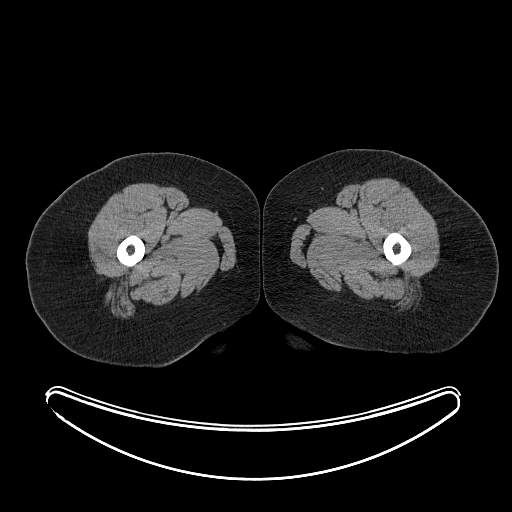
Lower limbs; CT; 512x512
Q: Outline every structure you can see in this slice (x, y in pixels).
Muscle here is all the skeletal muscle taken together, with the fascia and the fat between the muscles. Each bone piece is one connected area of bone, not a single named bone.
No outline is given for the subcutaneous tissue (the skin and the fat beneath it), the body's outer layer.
A: Outlines:
right leg 1: 147,151 188,154 230,171 253,191 261,213 262,285 255,307 225,331 212,335 173,363 156,369 101,363 81,357 64,347 52,336 36,314 29,296 25,269 25,253 34,224 45,208 62,191 82,176 118,157
right leg 2: 229,337 232,338 233,340 232,341 232,343 227,349 227,350 222,354 218,355 217,356 214,356 213,357 207,357 206,356 204,356 202,354 202,353 207,348 208,348 217,341 219,341 222,339 225,339
left leg 1: 345,148 388,149 420,161 465,199 485,222 497,250 499,264 497,287 493,300 479,323 455,347 434,354 403,354 348,349 328,343 290,325 269,307 263,290 262,241 262,212 267,194 283,176 296,167 329,152
left leg 2: 282,330 287,330 288,331 291,331 305,338 307,340 313,343 319,349 319,351 317,352 302,352 301,351 296,351 295,350 293,350 291,349 289,347 288,347 282,341 282,339 281,338 281,331
bones 1: 390,232 398,232 400,233 409,242 411,246 411,253 410,255 405,261 404,261 399,265 394,265 392,264 392,263 385,257 384,255 384,253 383,252 383,241 386,237 386,236
bones 2: 132,234 138,236 143,241 144,243 144,246 145,247 145,252 144,253 143,257 138,262 137,262 132,266 127,266 121,263 119,261 119,260 117,258 116,250 117,249 117,247 119,243 127,236 131,235
muscle 1: 139,182 178,185 208,200 218,211 233,236 236,248 236,262 235,265 225,276 197,297 194,297 193,299 163,310 154,315 117,322 104,306 100,286 94,274 89,258 87,232 96,214 113,193 120,191 129,184, around a hole outlined by 132,234 138,236 143,241 144,243 144,246 145,247 145,252 144,253 143,257 138,262 137,262 132,266 127,266 121,263 119,261 119,260 117,258 116,250 117,249 117,247 119,243 127,236 131,235
muscle 2: 375,177 397,178 408,183 426,205 427,210 436,222 440,244 439,261 421,279 423,289 422,304 410,313 395,313 336,302 326,296 300,273 287,255 287,248 293,231 302,217 311,208 321,203 331,193 346,184, around a hole outlined by 390,232 398,232 400,233 409,242 411,246 411,253 410,255 405,261 404,261 399,265 394,265 392,264 392,263 385,257 384,255 384,253 383,252 383,241 386,237 386,236